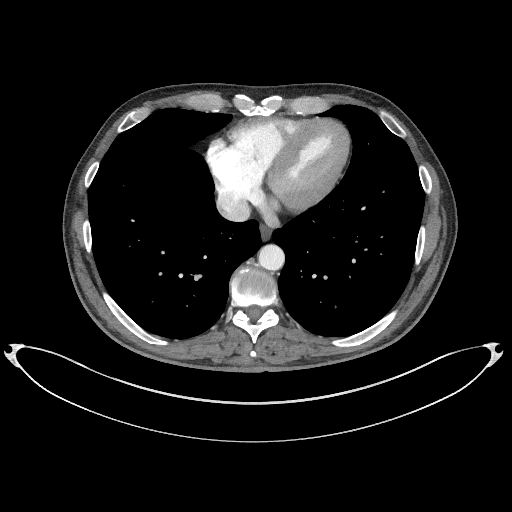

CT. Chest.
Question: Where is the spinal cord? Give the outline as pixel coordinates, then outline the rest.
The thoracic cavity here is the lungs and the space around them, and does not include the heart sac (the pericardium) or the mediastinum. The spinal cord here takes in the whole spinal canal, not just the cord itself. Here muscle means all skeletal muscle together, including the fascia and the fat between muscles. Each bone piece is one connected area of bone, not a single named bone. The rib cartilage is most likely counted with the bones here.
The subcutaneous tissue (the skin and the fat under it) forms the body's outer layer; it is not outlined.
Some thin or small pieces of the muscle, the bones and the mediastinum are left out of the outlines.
Answer: Outlines:
spinal cord: 250 322; 255 322; 256 321; 256 320; 261 316; 261 315; 262 314; 262 313; 263 312; 264 309; 263 308; 262 308; 261 307; 260 307; 257 305; 252 305; 251 306; 249 306; 245 310; 245 312; 249 317; 249 318; 250 319
thoracic cavity 1: 179 339; 205 331; 221 317; 229 300; 229 278; 235 268; 256 251; 260 237; 256 220; 231 222; 218 213; 207 164; 191 146; 222 127; 231 115; 165 108; 154 111; 134 127; 117 135; 88 189; 88 209; 93 255; 107 291; 147 331
thoracic cavity 2: 332 337; 360 331; 391 309; 410 275; 424 201; 417 166; 406 143; 392 134; 377 115; 353 105; 336 105; 320 114; 341 119; 348 126; 352 138; 350 163; 341 181; 318 204; 274 230; 272 235; 286 255; 277 282; 286 311; 312 333
bones 1: 253 343; 255 343; 257 336; 262 330; 277 325; 279 321; 279 315; 275 308; 279 305; 280 301; 277 284; 273 277; 255 267; 254 268; 247 265; 236 268; 230 278; 230 300; 223 315; 226 322; 231 321; 234 325; 244 329; 250 335; inner edge: 250 322; 255 322; 256 321; 256 320; 261 316; 261 315; 262 314; 262 313; 263 312; 264 309; 263 308; 262 308; 261 307; 260 307; 257 305; 252 305; 251 306; 249 306; 245 310; 245 312; 249 317; 249 318; 250 319
bones 2: 245 115; 269 115; 282 109; 290 114; 305 115; 320 113; 331 106; 325 99; 311 96; 286 99; 276 94; 257 101; 240 93; 235 93; 229 99; 214 93; 204 93; 187 97; 184 102; 188 108; 206 112; 221 112; 226 107; 231 107
bones 3: 157 345; 166 345; 168 344; 168 341; 167 340; 163 339; 157 335; 154 335; 147 332; 139 325; 138 325; 128 315; 127 315; 106 291; 103 291; 102 292; 102 295; 107 305; 113 314; 124 326; 144 341; 151 344; 156 344
bones 4: 340 347; 357 345; 370 339; 383 329; 384 329; 391 322; 397 313; 397 309; 396 308; 392 309; 375 323; 360 332; 358 332; 355 334; 353 334; 346 337; 342 337; 341 338; 334 338; 332 339; 331 343; 336 346; 339 346
bones 5: 118 134; 134 126; 137 123; 140 122; 144 118; 145 118; 151 112; 151 111; 147 107; 143 107; 142 108; 140 108; 136 110; 133 110; 129 112; 125 116; 123 120; 117 127; 116 129; 116 132
bones 6: 403 139; 404 139; 406 136; 406 133; 405 131; 399 125; 399 124; 395 120; 395 119; 390 113; 389 113; 387 111; 383 109; 380 109; 378 111; 378 113; 377 114; 380 118; 380 119; 383 122; 383 123; 392 133; 393 133; 395 135
bones 7: 415 266; 419 263; 421 256; 422 255; 422 253; 423 252; 423 249; 424 248; 424 243; 425 242; 425 227; 424 225; 422 224; 420 225; 420 227; 418 231; 418 234; 417 235; 417 239; 416 240; 415 252; 414 253; 414 265
bones 8: 425 194; 429 194; 431 191; 431 178; 429 175; 429 173; 428 172; 426 167; 424 165; 423 165; 422 164; 420 164; 419 165; 418 165; 418 173; 419 174; 419 178; 420 179; 420 182; 421 183; 421 185; 422 186; 422 188; 423 189
bones 9: 88 253; 92 253; 92 250; 91 249; 91 228; 90 227; 90 225; 89 224; 89 220; 88 219; 88 218; 86 218; 83 221; 83 223; 82 224; 82 231; 83 232; 83 240; 84 241; 84 244; 85 245; 85 248; 86 249; 86 250
bones 10: 86 188; 88 188; 89 187; 98 169; 98 167; 99 166; 99 161; 97 160; 94 161; 90 165; 90 166; 88 168; 86 172; 86 174; 85 175; 85 178; 84 179; 84 186
mediastinum 1: 276 281; 284 264; 285 255; 283 250; 272 240; 271 235; 274 229; 293 218; 289 218; 279 225; 269 226; 261 221; 252 207; 243 199; 215 189; 216 207; 224 218; 237 222; 253 218; 259 223; 261 245; 240 265; 255 266; 272 275
mediastinum 2: 203 156; 209 143; 218 132; 221 131; 222 129; 226 127; 233 121; 234 119; 238 117; 241 117; 244 115; 233 109; 232 110; 225 110; 223 111; 222 112; 230 113; 232 115; 232 119; 222 128; 207 136; 192 146; 194 149; 198 151
mediastinum 3: 337 184; 340 181; 341 178; 343 176; 345 172; 345 170; 349 163; 349 160; 350 159; 350 156; 351 155; 351 150; 352 149; 352 144; 350 148; 350 152; 349 153; 349 160; 343 171; 343 173; 340 178; 340 180; 337 183
pericardium: 269 225; 279 224; 287 218; 307 210; 318 203; 335 186; 348 160; 351 145; 349 132; 342 122; 330 117; 296 116; 281 113; 269 116; 244 116; 234 120; 219 132; 210 143; 204 158; 212 174; 215 188; 243 198; 253 207; 262 221
muscle 1: 242 367; 267 363; 282 364; 302 357; 348 353; 371 346; 388 337; 402 324; 433 283; 442 260; 446 238; 444 192; 435 170; 423 156; 412 134; 392 113; 407 133; 404 140; 417 165; 424 164; 432 178; 432 191; 425 195; 421 220; 426 227; 426 242; 420 263; 413 266; 409 281; 392 308; 398 309; 395 318; 376 336; 353 347; 336 347; 330 343; 333 338; 307 331; 285 311; 281 303; 276 308; 280 315; 278 325; 262 331; 255 344; 244 330; 231 322; 226 323; 223 316; 211 328; 197 336; 183 340; 166 339; 169 341; 166 346; 151 345; 124 327; 103 300; 101 292; 106 290; 93 256; 86 252; 82 240; 81 224; 88 217; 87 189; 83 186; 87 168; 94 160; 101 160; 117 134; 116 127; 129 111; 143 106; 147 106; 152 112; 165 107; 187 108; 183 100; 191 94; 214 92; 229 98; 232 93; 193 90; 146 101; 114 122; 87 162; 74 194; 72 255; 82 290; 98 315; 123 338; 154 353; 179 359; 209 358; 216 363
muscle 2: 376 114; 377 111; 380 108; 383 108; 384 109; 385 109; 384 108; 377 106; 373 106; 362 100; 356 99; 347 95; 343 95; 342 94; 311 95; 312 96; 320 96; 325 98; 332 106; 336 104; 353 104; 354 105; 359 105; 371 110
torso: 234 373; 309 369; 369 355; 405 335; 433 300; 457 237; 456 202; 447 174; 425 136; 408 115; 385 96; 334 82; 277 85; 191 82; 155 87; 119 105; 78 160; 66 190; 62 240; 72 284; 88 315; 111 339; 143 357; 182 367